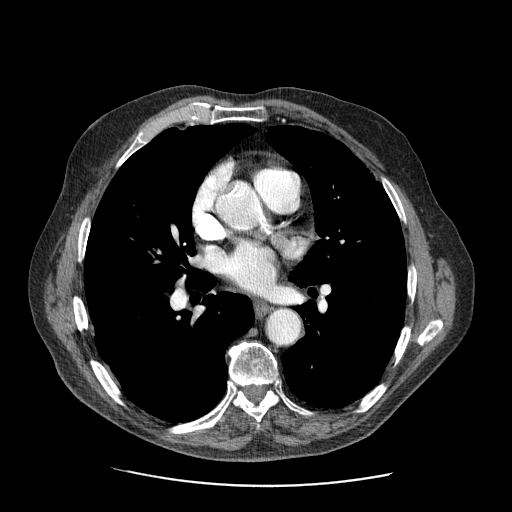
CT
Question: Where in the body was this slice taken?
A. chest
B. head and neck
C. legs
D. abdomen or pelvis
Answer: A. chest
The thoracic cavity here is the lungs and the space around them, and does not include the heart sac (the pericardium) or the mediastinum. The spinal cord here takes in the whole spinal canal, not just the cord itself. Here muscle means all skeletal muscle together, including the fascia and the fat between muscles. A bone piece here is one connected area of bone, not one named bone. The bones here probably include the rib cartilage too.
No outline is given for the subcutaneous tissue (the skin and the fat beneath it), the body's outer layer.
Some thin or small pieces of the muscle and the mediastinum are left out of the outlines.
The mediastinum appears in 3 outlined pieces: piece 1: [[216,277],[228,286],[247,295],[269,294],[287,278],[298,288],[300,293],[299,300],[293,308],[302,318],[304,335],[285,349],[280,359],[267,346],[257,340],[243,339],[232,343],[253,325],[255,321],[254,310],[249,297],[241,293],[222,290],[217,285]]; piece 2: [[277,115],[281,115],[287,118],[292,118],[295,121],[293,124],[285,123],[270,125],[266,129],[264,136],[266,142],[278,153],[264,150],[244,150],[236,152],[221,160],[206,175],[209,170],[232,147],[256,131],[254,127],[239,122],[266,123],[271,118]]; piece 3: [[196,249],[196,250],[197,251],[197,253],[198,254],[198,256],[200,259],[200,261],[206,267],[206,268],[208,270],[207,270],[202,267],[202,266],[201,265],[201,264],[200,263],[200,262],[199,261],[199,260],[196,255],[197,254],[197,252],[196,251]]. The thoracic cavity appears in 2 outlined pieces: piece 1: [[183,121],[203,125],[242,123],[255,129],[208,170],[191,207],[195,255],[201,267],[215,277],[222,291],[249,298],[254,321],[225,351],[228,377],[221,399],[205,414],[172,424],[126,398],[98,353],[86,307],[83,264],[92,219],[116,172],[160,132]]; piece 2: [[285,124],[326,133],[345,145],[380,182],[398,217],[404,240],[407,298],[392,355],[372,389],[357,402],[337,408],[310,409],[292,399],[283,387],[279,360],[305,335],[303,318],[294,308],[301,293],[288,276],[318,239],[308,183],[265,136],[270,126]]. The spinal cord is outlined by [[250,385],[254,385],[255,386],[262,386],[263,385],[266,387],[266,390],[265,391],[265,394],[264,396],[261,399],[261,400],[257,403],[254,403],[252,401],[251,401],[248,398],[247,398],[244,394],[244,388]]. The bones appear in 10 outlined pieces: piece 1: [[243,340],[257,341],[274,354],[279,361],[284,392],[314,414],[305,417],[280,402],[265,412],[260,428],[257,429],[256,420],[252,416],[232,406],[212,427],[177,434],[168,432],[167,428],[172,425],[205,415],[222,399],[229,377],[226,351],[232,344]], around a hole outlined by [[250,385],[254,385],[255,386],[262,386],[263,385],[266,387],[266,390],[265,391],[265,394],[264,396],[261,399],[261,400],[257,403],[254,403],[252,401],[251,401],[248,398],[247,398],[244,394],[244,388]]; piece 2: [[194,101],[201,101],[225,107],[245,107],[263,104],[268,112],[268,119],[266,121],[229,120],[213,124],[203,124],[192,120],[183,120],[160,131],[146,144],[134,152],[115,171],[114,167],[117,161],[128,148],[137,133],[146,124],[171,110]]; piece 3: [[90,358],[94,358],[98,360],[105,366],[106,366],[111,377],[119,387],[123,395],[123,397],[126,402],[127,407],[124,407],[117,403],[106,392],[106,391],[103,388],[103,387],[101,385],[101,384],[99,382],[93,372],[93,370],[89,363],[89,359]]; piece 4: [[380,382],[389,382],[389,385],[387,389],[383,393],[383,394],[379,398],[379,399],[367,410],[366,410],[364,412],[361,412],[360,413],[352,413],[351,412],[351,410],[352,408],[354,408],[357,405],[357,403],[366,394],[367,394],[371,390],[372,390]]; piece 5: [[74,295],[78,295],[81,297],[85,305],[85,307],[86,308],[86,310],[88,314],[88,317],[89,318],[89,327],[88,329],[84,331],[83,333],[81,333],[78,330],[77,328],[77,325],[75,322],[75,317],[74,316],[74,312],[73,311],[73,296]]; piece 6: [[381,175],[384,175],[389,180],[389,181],[395,189],[403,206],[403,209],[404,210],[404,212],[406,216],[406,220],[407,221],[407,223],[406,224],[404,224],[400,221],[399,217],[396,212],[396,210],[389,196],[387,194],[380,181],[380,176]]; piece 7: [[85,216],[89,216],[91,218],[91,225],[88,233],[83,263],[82,265],[80,265],[77,261],[77,258],[78,257],[78,247],[77,246],[77,242],[78,241],[78,236],[79,235],[79,229],[81,223]]; piece 8: [[406,325],[407,326],[409,326],[411,328],[411,333],[410,334],[410,337],[407,343],[406,348],[401,358],[399,360],[396,366],[395,367],[393,367],[393,363],[392,362],[391,358],[393,355],[393,353],[394,352],[396,344],[398,341],[401,330],[402,328]]; piece 9: [[439,318],[440,318],[443,322],[443,326],[440,330],[440,331],[438,332],[429,341],[426,342],[422,346],[419,345],[416,341],[416,340],[418,336],[420,334],[420,333],[425,328],[427,324],[431,320],[433,320],[434,319],[438,319]]; piece 10: [[411,262],[412,262],[414,264],[415,266],[415,268],[416,269],[416,272],[417,273],[417,279],[416,280],[416,286],[415,287],[415,296],[414,297],[414,300],[413,301],[413,303],[412,305],[410,304],[410,301],[407,296],[407,267],[408,266],[408,264]]. The pericardium is outlined by [[244,151],[264,151],[281,155],[304,178],[311,198],[314,227],[313,241],[302,258],[289,272],[287,277],[278,286],[266,294],[247,294],[239,291],[212,273],[201,261],[196,248],[194,228],[192,225],[192,207],[198,188],[205,177],[221,161],[233,154]]. The torso is outlined by [[180,84],[236,93],[278,86],[324,92],[387,118],[419,157],[437,202],[471,257],[473,315],[453,352],[369,436],[320,455],[260,462],[198,458],[121,429],[80,402],[57,374],[32,320],[27,277],[35,244],[60,193],[68,156],[82,132],[102,114]]. The muscle is outlined by [[197,95],[211,95],[219,99],[229,100],[236,105],[238,105],[243,102],[247,102],[263,98],[283,99],[308,107],[344,129],[352,137],[367,147],[388,169],[400,187],[404,191],[412,204],[417,214],[417,216],[419,218],[421,226],[423,228],[425,237],[428,241],[433,252],[438,256],[444,258],[451,267],[451,269],[454,274],[455,292],[456,293],[454,320],[453,321],[453,326],[451,330],[441,344],[415,369],[409,377],[407,378],[381,407],[369,419],[363,424],[357,427],[352,428],[345,432],[340,433],[335,436],[326,439],[315,440],[306,444],[297,445],[296,446],[278,442],[269,439],[260,434],[256,435],[244,447],[235,450],[220,449],[206,445],[202,445],[201,446],[180,445],[163,441],[156,438],[153,435],[140,429],[138,427],[132,425],[127,420],[122,418],[102,401],[78,373],[74,363],[70,358],[69,354],[55,334],[47,320],[44,309],[44,302],[43,301],[44,283],[48,271],[80,201],[104,165],[143,121],[162,110],[170,104],[180,99]]; inner edges: [[194,101],[263,104],[269,120],[281,115],[335,138],[395,189],[407,221],[400,223],[406,261],[417,273],[403,319],[411,333],[396,366],[390,359],[383,371],[387,389],[364,412],[351,412],[355,402],[305,417],[280,402],[257,429],[232,406],[212,427],[174,434],[171,423],[127,398],[127,407],[117,403],[94,374],[89,359],[104,363],[94,328],[81,333],[73,311],[74,295],[86,304],[81,223],[93,218],[137,133]], then [[439,318],[440,318],[443,322],[443,326],[440,330],[440,331],[438,332],[429,341],[426,342],[422,346],[419,345],[416,341],[416,340],[418,336],[420,334],[420,333],[425,328],[427,324],[431,320],[433,320],[434,319],[438,319]].